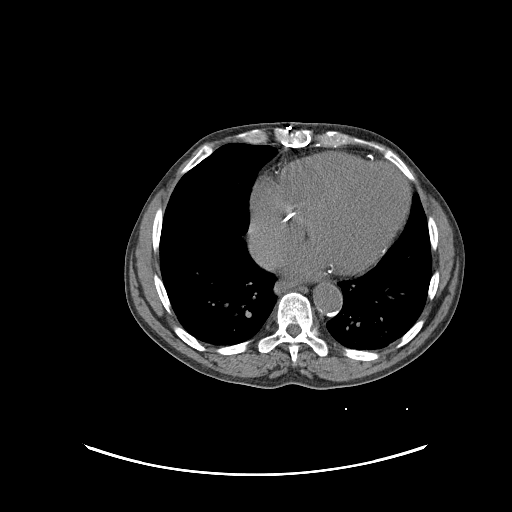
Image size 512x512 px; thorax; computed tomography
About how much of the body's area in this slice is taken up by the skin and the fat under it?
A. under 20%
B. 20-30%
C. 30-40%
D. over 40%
Answer: A. under 20%
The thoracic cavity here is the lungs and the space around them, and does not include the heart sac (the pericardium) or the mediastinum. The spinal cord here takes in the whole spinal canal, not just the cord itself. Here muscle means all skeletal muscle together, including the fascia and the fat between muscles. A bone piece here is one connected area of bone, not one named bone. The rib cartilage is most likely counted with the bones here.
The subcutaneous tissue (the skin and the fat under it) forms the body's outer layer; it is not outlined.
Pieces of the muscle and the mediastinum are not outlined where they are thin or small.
The spinal cord is outlined by 290,324 296,324 297,325 298,325 299,326 299,327 300,328 300,332 298,334 297,334 295,336 292,336 286,330 286,329 287,328 287,327. The torso is outlined by 276,121 347,124 386,137 435,186 457,222 465,266 454,314 441,335 421,355 384,377 331,389 297,384 266,389 222,381 194,370 160,347 143,331 128,307 124,290 126,246 145,201 163,175 196,141 211,132. The thoracic cavity appears in 2 outlined pieces: piece 1: 238,142 266,144 277,150 256,174 249,196 249,223 245,234 250,257 258,266 276,277 273,286 276,297 275,316 273,322 267,325 260,335 218,346 201,342 178,320 161,278 160,238 165,208 181,177 216,149; piece 2: 415,191 419,195 427,219 432,272 428,283 426,300 418,319 399,339 384,347 373,350 350,348 324,337 320,328 341,310 344,303 342,289 338,283 342,280 363,274 381,259 401,235 410,215 412,197. The mediastinum appears in 2 outlined pieces: piece 1: 277,278 293,280 330,280 331,281 332,280 341,280 337,283 341,289 343,298 343,303 341,308 335,315 331,317 320,327 314,319 310,300 302,293 298,291 288,291 284,293 277,301 277,297 274,292 274,286; piece 2: 273,146 285,146 296,149 305,147 307,148 362,148 363,149 367,149 373,152 351,149 350,148 335,148 334,149 325,148 324,149 309,150 297,153 282,159 262,171 257,177 257,174 260,169 277,154 278,150. The bones appear in 10 outlined pieces: piece 1: 288,292 298,292 309,300 313,319 329,343 326,355 318,355 304,342 299,344 295,365 292,364 288,344 285,342 266,353 258,350 255,341 245,351 235,354 224,355 215,350 263,334 267,326 274,324 278,300, around a hole outlined by 290,324 296,324 297,325 298,325 299,326 299,327 300,328 300,332 298,334 297,334 295,336 292,336 286,330 286,329 287,328 287,327; piece 2: 275,127 292,131 308,129 315,133 333,130 381,144 399,156 416,180 413,182 408,179 380,152 366,145 326,147 310,144 296,148 283,145 273,139 265,144 244,142 236,137 238,133 252,129 262,129 270,133; piece 3: 159,207 161,207 162,208 163,210 163,214 162,215 162,222 161,223 161,232 160,233 160,237 159,238 159,251 158,253 155,253 153,249 153,243 152,242 152,227 153,226 153,220 154,219 155,212 156,210; piece 4: 340,346 343,346 344,347 346,347 350,349 355,349 356,350 370,350 371,351 375,351 379,354 379,356 376,359 374,359 373,360 358,360 357,359 352,359 347,356 345,356 343,355 342,353 342,350 340,348; piece 5: 203,144 211,144 214,150 208,156 207,156 205,158 201,160 188,171 187,171 184,174 180,176 180,172 181,170 185,166 185,165 189,161 189,160 196,154 196,153 199,150 199,149; piece 6: 173,325 178,325 179,326 181,326 189,334 190,334 192,336 193,336 197,340 198,340 206,348 206,350 205,350 204,351 199,351 195,348 194,348 193,347 190,346 188,344 187,344 175,333 175,332 172,328; piece 7: 154,274 157,274 158,276 160,277 163,283 164,288 166,291 168,299 171,305 171,308 173,311 173,313 172,314 170,314 167,312 158,295 158,293 155,287 155,284 154,283 154,279 153,278; piece 8: 419,319 424,319 424,323 423,324 422,327 420,329 420,330 407,343 406,343 404,345 403,345 402,346 401,346 400,347 397,348 396,347 396,345 397,344 397,343 399,341 400,338; piece 9: 430,215 433,217 434,219 434,221 437,227 437,235 438,236 438,238 437,239 437,246 436,247 436,249 434,251 433,251 431,249 431,244 430,243 430,238 429,237 429,231 428,230 428,219 427,217; piece 10: 436,270 439,272 439,281 438,282 438,285 437,286 437,289 436,290 436,292 433,298 431,300 430,300 427,298 427,294 428,293 428,288 429,287 429,283 430,282 430,279 431,278 431,276 433,272 434,272. The pericardium is outlined by 325,149 350,149 373,153 393,164 409,180 411,186 411,206 407,221 400,235 380,259 363,273 346,279 331,280 277,277 258,265 248,250 246,234 250,223 250,196 252,188 256,179 262,172 282,160 297,154. The muscle appears in 3 outlined pieces: piece 1: 200,146 180,170 180,178 164,210 161,206 155,210 151,227 152,249 158,254 160,270 160,276 157,273 152,276 154,287 166,312 170,315 174,313 180,324 173,324 172,330 187,345 204,352 207,348 202,343 210,344 217,346 214,350 218,354 227,356 245,352 254,342 262,354 285,343 291,364 295,366 301,343 307,344 318,356 324,357 329,353 328,340 331,340 340,345 343,356 358,361 376,360 380,354 374,350 384,348 397,340 395,345 397,349 407,344 423,327 425,319 419,317 427,299 431,301 438,289 440,272 436,269 432,271 432,251 437,249 439,236 434,217 426,215 420,195 412,183 417,180 415,176 395,152 419,175 441,205 455,239 459,259 457,283 444,318 420,346 401,360 379,371 345,381 311,378 291,367 285,373 272,378 233,376 205,366 171,346 143,319 134,305 129,282 131,252 136,230 148,204 170,175; piece 2: 235,134 235,137 237,139 241,141 225,143 215,149 213,145 211,143 204,143 206,142 209,142 210,141 213,141 214,140 217,140 218,139 223,138 226,136 234,135; piece 3: 348,145 360,145 361,146 366,146 369,148 371,148 372,149 377,151 379,153 380,153 381,154 381,155 380,155 379,154 378,154 377,153 376,153 367,148 363,148 362,147 338,147 340,147 341,146 347,146.